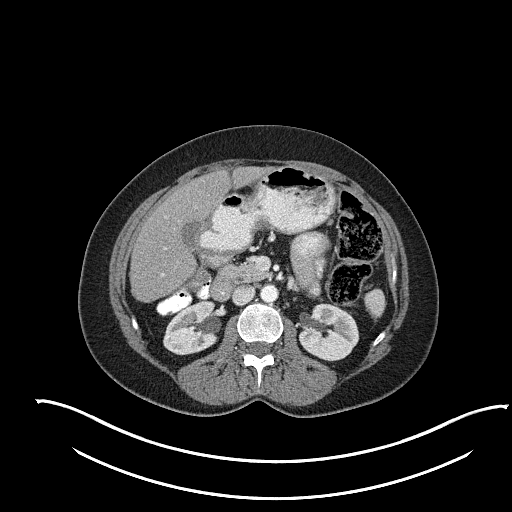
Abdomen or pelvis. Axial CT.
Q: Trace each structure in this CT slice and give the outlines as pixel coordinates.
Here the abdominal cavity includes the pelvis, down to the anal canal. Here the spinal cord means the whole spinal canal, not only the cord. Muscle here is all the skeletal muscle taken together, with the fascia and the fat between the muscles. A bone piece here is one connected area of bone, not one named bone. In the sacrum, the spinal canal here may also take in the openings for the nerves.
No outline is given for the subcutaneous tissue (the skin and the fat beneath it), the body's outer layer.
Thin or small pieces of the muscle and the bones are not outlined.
A: Outlined structures:
abdominal cavity: [[338,370],[353,367],[363,357],[393,311],[381,232],[352,193],[290,165],[245,163],[194,177],[143,224],[128,260],[126,298],[150,350],[161,361],[178,367],[213,351],[227,320],[247,304],[259,301],[271,304],[282,318],[294,323],[298,345],[305,354]]
spinal cord: [[258,357],[261,357],[263,355],[264,355],[267,353],[269,353],[271,350],[271,346],[269,344],[268,344],[265,342],[252,342],[251,343],[250,343],[248,346],[248,348],[247,349],[247,351],[250,353],[252,353],[253,354],[254,354],[256,356],[257,356]]
torso: [[303,418],[376,402],[402,387],[422,366],[439,315],[439,286],[429,245],[411,208],[388,177],[333,137],[279,124],[234,126],[200,135],[145,166],[98,218],[85,248],[77,291],[84,341],[110,378],[156,405],[189,415],[215,416],[259,400],[282,413]]
muscle: [[292,406],[307,405],[310,403],[313,403],[317,401],[331,392],[344,381],[360,373],[365,369],[373,365],[385,356],[390,351],[391,349],[391,341],[395,333],[398,330],[404,320],[408,308],[408,302],[409,301],[408,264],[407,263],[407,258],[405,253],[405,249],[402,242],[400,233],[395,222],[389,213],[378,202],[369,195],[357,182],[343,173],[325,165],[322,165],[318,163],[310,162],[309,161],[302,161],[301,160],[282,160],[281,159],[273,159],[272,158],[271,159],[229,158],[228,159],[217,160],[209,163],[205,163],[202,165],[199,165],[183,173],[180,176],[176,178],[169,185],[167,185],[159,189],[148,196],[142,201],[132,212],[123,225],[116,238],[115,243],[112,249],[110,261],[109,262],[108,291],[109,292],[109,300],[113,313],[115,315],[119,327],[123,335],[125,337],[127,343],[142,357],[146,359],[160,370],[166,373],[182,390],[193,399],[207,404],[222,405],[223,404],[233,404],[242,400],[244,400],[253,395],[260,394],[261,395],[264,395],[274,401],[283,404],[291,405]], around a hole outlined by [[258,387],[274,363],[283,315],[305,354],[334,369],[353,367],[385,335],[397,276],[393,257],[388,276],[381,232],[360,200],[277,163],[220,168],[179,188],[143,224],[126,277],[132,326],[156,357],[178,367],[213,351],[236,314],[243,364],[256,369]]
bones 1: [[258,387],[261,381],[262,369],[265,366],[274,363],[273,344],[282,333],[283,323],[278,310],[271,305],[254,302],[247,305],[242,310],[238,315],[236,324],[238,333],[246,347],[246,350],[241,354],[243,364],[246,366],[253,366],[256,369]]; inner edge: [[258,357],[261,357],[263,355],[264,355],[267,353],[269,353],[271,350],[271,346],[269,344],[268,344],[265,342],[252,342],[251,343],[250,343],[248,346],[248,348],[247,349],[247,351],[250,353],[252,353],[253,354],[254,354],[256,356],[257,356]]
bones 2: [[392,292],[393,292],[394,291],[394,288],[395,287],[395,283],[396,282],[396,277],[397,276],[397,268],[396,267],[395,260],[393,257],[391,259],[391,263],[392,264],[392,275],[391,276],[391,278],[390,279],[390,287],[391,288],[391,290],[392,291]]
bones 3: [[370,349],[371,349],[371,348],[373,346],[374,346],[375,345],[376,345],[384,337],[384,336],[385,335],[385,332],[384,331],[384,330],[383,330],[382,331],[381,331],[378,334],[378,335],[375,338],[375,339],[372,342],[372,343],[371,344],[371,348]]